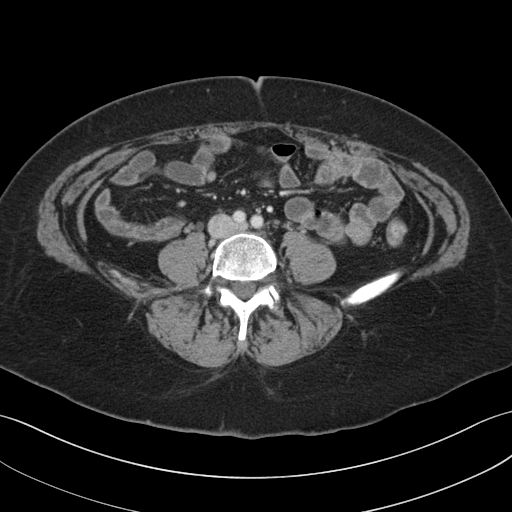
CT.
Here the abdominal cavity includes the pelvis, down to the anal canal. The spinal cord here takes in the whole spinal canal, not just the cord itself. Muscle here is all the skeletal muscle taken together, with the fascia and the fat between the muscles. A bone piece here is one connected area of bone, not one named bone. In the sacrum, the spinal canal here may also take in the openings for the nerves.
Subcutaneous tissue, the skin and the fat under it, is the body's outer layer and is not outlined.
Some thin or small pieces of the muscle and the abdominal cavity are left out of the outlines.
Outlined structures:
bones 1: 240 232; 255 233; 267 240; 273 248; 278 263; 269 278; 280 295; 275 311; 260 305; 251 313; 246 339; 243 341; 238 340; 239 319; 234 311; 229 306; 220 305; 219 295; 215 291; 211 296; 201 292; 211 279; 216 246; 225 238 with a hole at 232 281; 241 281; 242 282; 244 282; 245 281; 254 281; 255 282; 256 282; 257 283; 257 289; 256 290; 256 291; 249 298; 248 298; 246 300; 243 300; 242 299; 241 299; 240 298; 239 298; 229 288; 229 286; 230 285; 230 283
bones 2: 394 270; 401 270; 402 271; 402 275; 396 282; 381 294; 374 297; 372 299; 370 299; 365 302; 363 302; 357 305; 345 305; 344 306; 341 306; 340 305; 340 300; 344 298; 358 287; 371 281; 373 279; 375 279; 380 276; 388 274
bones 3: 111 269; 115 269; 116 270; 117 270; 123 276; 124 276; 125 277; 126 277; 127 278; 128 278; 129 279; 129 280; 131 282; 128 282; 127 283; 122 283; 119 280; 119 279; 117 277; 116 277; 115 276; 114 276; 110 272; 110 270
spinal cord: 232 281; 241 281; 242 282; 244 282; 245 281; 254 281; 255 282; 256 282; 257 283; 257 289; 256 290; 256 291; 249 298; 248 298; 246 300; 243 300; 242 299; 241 299; 240 298; 239 298; 229 288; 229 286; 230 285; 230 283
torso: 213 75; 245 75; 254 79; 262 75; 281 75; 358 89; 423 118; 469 153; 486 173; 511 214; 511 366; 369 425; 319 435; 289 434; 256 439; 181 432; 121 420; 76 404; 0 368; 0 194; 12 176; 46 140; 86 112; 138 90
muscle: 239 120; 290 122; 345 134; 401 154; 426 166; 444 178; 460 194; 465 203; 469 214; 470 229; 464 258; 457 265; 436 277; 361 306; 349 308; 341 329; 331 343; 316 356; 296 365; 264 366; 247 355; 240 355; 221 368; 193 369; 161 354; 154 347; 139 320; 135 307; 128 300; 98 282; 65 268; 47 257; 39 247; 36 238; 34 229; 36 208; 47 187; 68 165; 99 148; 167 129; inner edges: 260 128; 391 167; 428 231; 407 263; 345 286; 313 286; 336 271; 334 254; 285 232; 269 276; 277 309; 258 306; 239 341; 234 311; 215 291; 201 292; 212 272; 202 231; 164 245; 163 278; 144 278; 91 253; 84 212; 142 147, then 394 270; 401 270; 402 271; 402 275; 396 282; 381 294; 374 297; 372 299; 370 299; 365 302; 363 302; 357 305; 345 305; 344 306; 341 306; 340 305; 340 300; 344 298; 358 287; 371 281; 373 279; 375 279; 380 276; 388 274, then 111 269; 115 269; 116 270; 117 270; 123 276; 124 276; 125 277; 126 277; 127 278; 128 278; 129 279; 129 280; 131 282; 128 282; 127 283; 122 283; 119 280; 119 279; 117 277; 116 277; 115 276; 114 276; 110 272; 110 270
abdominal cavity: 260 128; 391 167; 428 218; 424 245; 407 263; 345 286; 313 286; 336 271; 336 259; 327 245; 295 230; 282 235; 279 263; 270 242; 255 232; 225 237; 211 259; 205 234; 192 231; 159 250; 161 279; 91 253; 88 201; 142 147